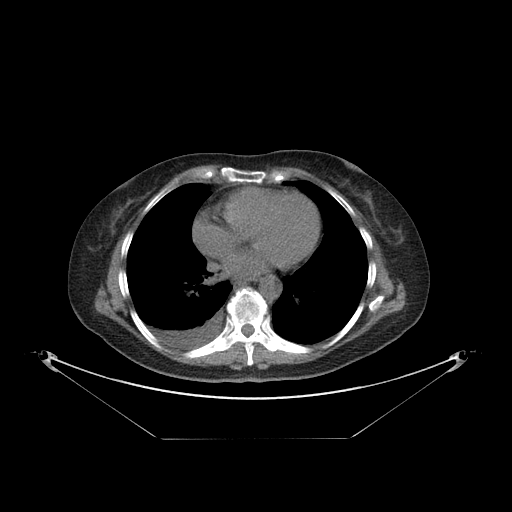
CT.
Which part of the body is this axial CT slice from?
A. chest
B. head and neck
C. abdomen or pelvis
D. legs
A. chest
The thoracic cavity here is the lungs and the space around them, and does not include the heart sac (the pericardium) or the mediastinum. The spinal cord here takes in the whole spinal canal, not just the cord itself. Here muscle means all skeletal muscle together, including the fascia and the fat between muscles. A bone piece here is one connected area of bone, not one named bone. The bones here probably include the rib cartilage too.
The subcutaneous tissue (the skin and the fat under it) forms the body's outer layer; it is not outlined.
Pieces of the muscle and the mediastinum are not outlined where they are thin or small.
The thoracic cavity appears in 2 outlined pieces: piece 1: 190,182 202,183 210,192 192,220 190,230 191,241 205,258 207,269 219,279 228,281 231,289 224,305 226,315 221,331 213,339 198,347 182,350 160,343 141,319 131,297 126,268 132,239 144,216 168,193; piece 2: 294,180 306,180 315,184 345,210 364,242 367,258 365,287 349,319 334,335 307,345 288,340 279,335 272,327 270,311 283,291 283,278 292,275 305,265 320,245 324,235 322,215 315,202 296,186 284,182. The mediastinum is outlined by 207,261 216,269 231,277 245,276 283,277 282,291 279,297 271,306 271,309 269,308 263,296 256,289 249,285 245,285 237,288 229,296 232,289 232,285 228,280 219,278 212,271 208,269. The torso is outlined by 279,149 311,149 338,155 382,183 406,209 421,237 430,270 427,303 413,326 378,351 316,377 206,383 169,377 146,369 118,353 79,321 67,295 68,262 76,233 98,201 133,175 174,156 194,152 260,154. The muscle appears in 3 outlined pieces: piece 1: 275,166 297,167 314,174 337,190 361,212 376,235 390,273 400,279 404,285 406,303 400,310 384,316 358,337 321,357 304,363 272,364 265,369 259,369 253,365 255,343 259,343 269,352 283,351 292,354 308,354 312,351 312,348 308,345 333,336 322,345 322,348 326,349 340,340 360,317 365,307 365,303 361,300 364,289 372,287 377,273 376,263 373,260 368,261 367,257 367,250 371,250 373,247 372,237 365,227 355,225 352,218 356,216 356,213 351,205 329,186 322,188 306,179 288,180 290,176 283,171 274,169 268,172 264,170 267,167, around a hole outlined by 379,295 383,295 384,296 384,298 383,299 383,300 381,302 381,303 380,304 380,305 379,306 379,307 374,312 373,312 372,311 371,311 369,309 369,304 370,303 370,302 371,302 377,296 378,296; piece 2: 158,190 144,207 141,213 143,217 137,228 135,231 131,229 125,233 120,247 120,257 126,258 126,267 118,270 118,287 124,299 132,300 134,308 129,310 129,315 134,325 156,349 163,350 161,344 163,344 184,351 182,356 188,359 222,352 235,343 242,343 248,366 233,369 228,365 199,366 172,360 95,310 94,298 119,235 139,208; piece 3: 208,164 221,164 223,165 223,166 220,167 218,169 215,169 211,167 200,167 199,168 195,168 191,172 191,177 192,178 194,179 211,179 215,177 218,177 222,180 226,182 228,182 200,182 199,181 190,181 189,182 186,182 179,185 179,179 177,177 175,177 171,181 162,187 176,174 180,173 192,167 195,167 196,166 199,166 200,165 207,165. The spinal cord is outlined by 246,324 249,324 250,325 251,325 253,327 253,332 251,334 250,334 248,336 246,336 242,332 242,331 241,330 241,329 242,328 242,327 244,325 245,325. The bones appear in 11 outlined pieces: piece 1: 245,286 256,290 265,300 271,315 271,327 279,336 308,346 311,351 269,351 259,342 255,342 253,364 249,366 244,344 238,341 222,351 194,358 183,356 185,351 210,342 222,331 227,315 225,305 229,297 with a hole at 246,324 249,324 250,325 251,325 253,327 253,332 251,334 250,334 248,336 246,336 242,332 242,331 241,330 241,329 242,328 242,327 244,325 245,325; piece 2: 224,166 230,166 237,169 247,171 263,170 268,173 275,170 287,174 289,178 287,180 280,182 270,182 266,180 260,184 253,182 229,182 218,176 211,178 194,178 192,177 192,172 195,169 211,168 218,170; piece 3: 361,301 362,301 364,303 364,307 359,317 357,319 355,323 350,328 350,329 340,339 339,339 335,343 326,348 323,348 323,345 324,345 327,342 328,342 347,323 347,322 350,319 350,318 356,310 359,303; piece 4: 131,309 134,309 135,310 140,319 143,322 143,323 146,326 146,327 151,332 151,333 158,340 159,343 163,347 163,349 158,349 156,348 150,342 149,342 140,332 140,331 135,325 130,315 130,310; piece 5: 175,178 177,178 178,179 178,186 177,186 175,188 174,188 172,190 168,192 163,197 162,197 144,215 143,215 142,213 145,207 150,201 150,200 162,188 163,188 166,185 167,185 170,182 171,182; piece 6: 324,187 329,187 330,188 331,188 334,191 335,191 338,194 339,194 350,205 350,206 352,208 352,209 354,211 354,212 355,213 355,216 353,216 352,217 346,211 346,210 329,193 328,193 323,188; piece 7: 120,269 124,269 126,272 126,279 127,280 127,285 128,286 128,289 129,290 130,297 127,297 126,298 124,298 121,293 121,291 120,290 120,288 119,287 119,282 118,281 118,273 119,272 119,270; piece 8: 369,261 373,261 375,263 375,265 376,266 376,273 375,274 375,279 374,280 374,282 373,283 373,284 371,286 371,287 370,287 369,288 368,288 367,287 366,287 366,282 367,281 367,277 368,276 368,262; piece 9: 131,230 133,231 134,233 133,234 133,236 131,239 131,241 130,242 130,244 128,248 127,255 126,257 121,257 121,247 122,246 122,243 123,242 124,237 126,233 128,231 130,231; piece 10: 360,226 362,226 364,228 365,228 366,229 366,230 369,233 369,234 371,237 371,241 372,242 372,247 371,248 371,249 367,249 367,248 366,247 365,242 364,241 364,240 363,239 363,238 358,229 358,228; piece 11: 379,295 383,295 384,296 384,298 383,299 383,300 381,302 381,303 380,304 380,305 379,306 379,307 374,312 373,312 372,311 371,311 369,309 369,304 370,303 370,302 371,302 377,296 378,296. The pericardium is outlined by 235,183 292,186 305,194 317,206 322,219 323,235 321,241 304,265 296,269 292,274 287,274 284,276 275,275 231,276 222,272 212,265 193,243 191,233 192,224 199,208 213,191 223,186.